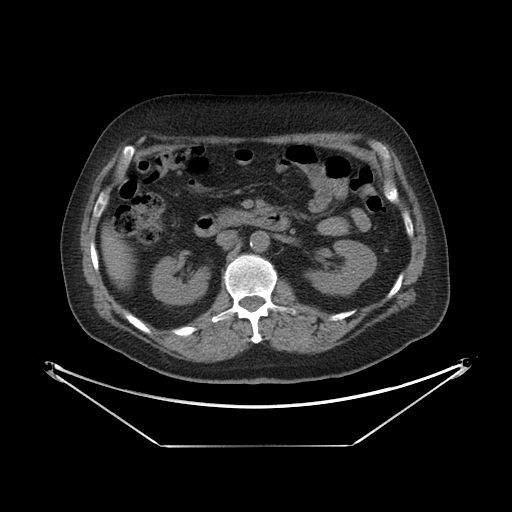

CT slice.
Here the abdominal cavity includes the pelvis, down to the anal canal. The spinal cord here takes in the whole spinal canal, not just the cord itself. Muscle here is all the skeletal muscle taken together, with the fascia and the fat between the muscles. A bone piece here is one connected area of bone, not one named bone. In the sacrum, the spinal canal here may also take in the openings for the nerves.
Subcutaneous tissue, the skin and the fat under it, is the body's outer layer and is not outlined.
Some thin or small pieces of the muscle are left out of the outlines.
The bones appear in 11 outlined pieces: piece 1: 243,253 259,255 273,265 277,280 271,300 274,304 296,311 291,314 269,310 266,316 261,316 257,327 262,339 258,343 250,340 253,331 247,318 235,314 216,322 210,320 213,315 233,304 223,276 228,264, around a hole outlined by 251,296 257,296 258,297 260,297 263,300 263,303 259,307 258,307 255,310 253,310 252,311 251,311 250,310 248,310 246,308 245,308 244,307 243,307 240,304 240,301 243,298 244,298 245,297 250,297; piece 2: 129,144 130,145 132,145 134,147 135,150 127,166 125,168 125,169 123,171 121,175 120,175 117,179 115,175 115,169 116,168 117,163 120,158 120,156 121,155 121,153 122,152 122,150 124,146 128,145; piece 3: 374,140 378,140 380,141 380,142 386,147 389,153 389,155 390,156 390,165 388,168 384,168 382,166 382,158 378,154 378,153 374,149 374,148 372,147 371,145 371,143 372,141; piece 4: 102,191 103,191 108,195 108,200 107,201 107,203 106,204 104,209 102,211 100,216 98,218 97,218 96,217 93,217 92,216 92,213 93,212 93,208 94,207 95,202 96,201 96,200 97,199 99,194; piece 5: 386,179 389,179 391,181 391,182 396,187 396,188 397,189 397,191 398,192 398,197 399,198 399,202 397,204 396,204 395,203 394,203 393,202 392,202 386,196 386,195 385,194 385,191 384,190 384,181; piece 6: 125,311 127,311 128,312 131,313 137,318 138,318 140,320 141,320 150,329 150,330 151,331 151,333 150,334 147,334 146,333 143,332 141,330 138,329 136,327 135,327 131,323 130,323 124,315 124,312; piece 7: 404,211 408,211 409,213 409,215 411,218 411,221 412,222 412,224 413,225 413,235 411,237 409,237 408,236 406,232 406,229 405,228 405,226 404,225 404,221 402,217 402,213; piece 8: 186,325 187,326 192,326 193,327 196,327 197,328 197,329 191,334 189,335 187,335 186,336 182,336 181,335 177,335 173,332 172,332 172,329 174,328 177,328 181,326 185,326; piece 9: 92,241 93,241 95,244 95,248 97,252 97,256 98,257 98,265 99,266 99,269 98,271 96,271 94,269 94,267 93,266 93,264 91,260 91,256 90,255 90,243; piece 10: 401,272 402,272 403,273 403,278 402,279 402,282 401,283 401,285 400,286 400,288 390,298 387,298 386,297 386,295 393,286 393,285 394,284 394,283 396,281 396,280 397,279 397,278 398,277 399,274; piece 11: 352,309 356,309 356,311 350,316 348,316 345,318 343,318 339,320 334,320 333,321 332,320 330,320 328,318 331,315 333,314 336,314 340,312 344,312 345,311 348,311. The torso is outlined by 299,90 339,91 365,98 392,115 412,139 436,198 447,238 450,300 439,326 391,357 356,373 288,384 208,384 180,380 148,369 90,337 73,316 67,302 59,241 72,189 105,127 132,105 163,94 265,94. The muscle is outlined by 145,131 229,137 308,132 376,135 397,155 425,225 426,256 422,273 413,284 414,303 322,352 278,351 259,343 263,339 258,327 261,317 266,317 269,311 291,315 297,312 293,307 273,302 278,277 289,283 300,303 332,314 327,318 333,322 350,317 358,308 385,296 390,299 401,288 414,225 409,211 401,213 397,205 400,202 397,187 389,178 383,181 383,187 377,168 368,161 342,149 309,142 209,143 151,153 130,162 136,149 129,143 121,150 114,169 116,181 109,195 102,190 92,208 91,216 97,219 95,242 89,243 93,269 99,270 108,292 127,310 123,315 128,322 147,335 152,331 144,322 158,329 170,329 177,336 191,335 198,328 187,324 211,307 223,279 232,304 209,320 216,323 235,315 247,319 252,331 249,340 253,344 230,359 194,362 162,352 112,325 93,306 83,274 81,223 99,172 121,142; inner edge: 374,140 378,140 380,141 380,142 386,147 389,153 389,155 390,156 390,165 388,168 384,168 382,166 382,158 378,154 378,153 374,149 374,148 372,147 371,145 371,143 372,141. The spinal cord is outlined by 251,296 257,296 258,297 260,297 263,300 263,303 259,307 258,307 255,310 253,310 252,311 251,311 250,310 248,310 246,308 245,308 244,307 243,307 240,304 240,301 243,298 244,298 245,297 250,297. The abdominal cavity is outlined by 242,142 309,143 348,152 376,168 385,196 401,214 410,244 407,264 383,297 357,309 330,313 300,302 268,259 243,252 225,267 210,307 185,325 155,327 114,298 100,272 96,226 128,165 168,150.